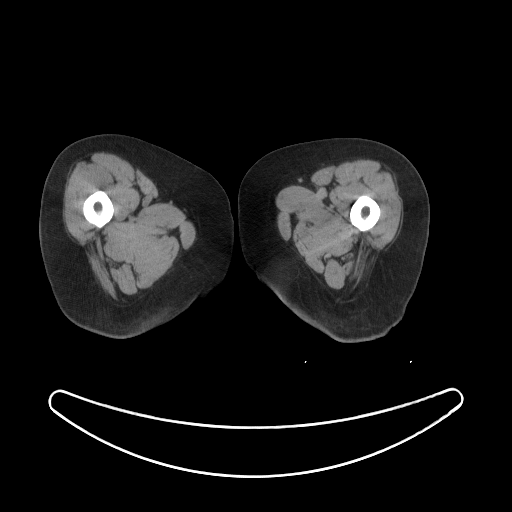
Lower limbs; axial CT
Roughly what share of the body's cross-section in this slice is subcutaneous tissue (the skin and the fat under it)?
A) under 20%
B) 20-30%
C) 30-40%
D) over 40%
D) over 40%
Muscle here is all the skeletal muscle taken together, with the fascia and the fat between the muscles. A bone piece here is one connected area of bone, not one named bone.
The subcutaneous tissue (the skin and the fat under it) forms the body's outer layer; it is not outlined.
left leg: (329, 137) (362, 137) (377, 140) (395, 148) (405, 155) (417, 169) (429, 197) (429, 235) (421, 273) (414, 293) (407, 304) (403, 318) (385, 336) (369, 341) (340, 342) (304, 322) (258, 280) (247, 265) (240, 245) (237, 196) (240, 182) (246, 171) (260, 157) (274, 149)
muscle 1: (100, 151) (116, 154) (141, 170) (169, 201) (171, 200) (183, 210) (187, 218) (194, 224) (196, 230) (196, 238) (191, 247) (174, 262) (171, 269) (153, 287) (128, 305) (114, 302) (102, 290) (88, 262) (84, 249) (68, 234) (63, 222) (63, 194) (72, 164) (94, 152), around a hole outlined by (96, 189) (105, 191) (107, 193) (108, 196) (110, 198) (112, 202) (112, 204) (114, 208) (113, 215) (111, 219) (101, 228) (98, 228) (96, 227) (93, 224) (88, 222) (86, 220) (82, 212) (82, 203) (83, 201) (91, 193) (92, 193)
muscle 2: (358, 158) (377, 160) (395, 176) (398, 193) (403, 202) (403, 220) (398, 235) (372, 267) (366, 287) (356, 297) (342, 303) (320, 285) (296, 250) (282, 239) (276, 223) (278, 209) (275, 205) (275, 197) (282, 188) (297, 184) (321, 167) (331, 164) (336, 165) (343, 161) with a hole at (362, 194) (367, 194) (369, 195) (376, 201) (376, 202) (378, 204) (380, 208) (380, 215) (379, 216) (378, 220) (376, 222) (376, 223) (369, 230) (367, 231) (361, 231) (359, 230) (351, 223) (349, 219) (349, 212) (350, 211) (350, 208) (352, 204) (357, 198) (357, 197)
bones 1: (96, 189) (105, 191) (107, 193) (108, 196) (110, 198) (112, 202) (112, 204) (114, 208) (113, 215) (111, 219) (101, 228) (98, 228) (96, 227) (93, 224) (88, 222) (86, 220) (82, 212) (82, 203) (83, 201) (91, 193) (92, 193)
bones 2: (362, 194) (367, 194) (369, 195) (376, 201) (376, 202) (378, 204) (380, 208) (380, 215) (379, 216) (378, 220) (376, 222) (376, 223) (369, 230) (367, 231) (361, 231) (359, 230) (351, 223) (349, 219) (349, 212) (350, 211) (350, 208) (352, 204) (357, 198) (357, 197)
right leg: (100, 133) (119, 133) (138, 137) (168, 149) (208, 171) (220, 183) (228, 196) (234, 225) (231, 263) (219, 286) (171, 320) (141, 334) (121, 339) (109, 338) (90, 332) (78, 327) (66, 318) (58, 307) (47, 279) (38, 236) (42, 189) (54, 159) (64, 147) (73, 141)